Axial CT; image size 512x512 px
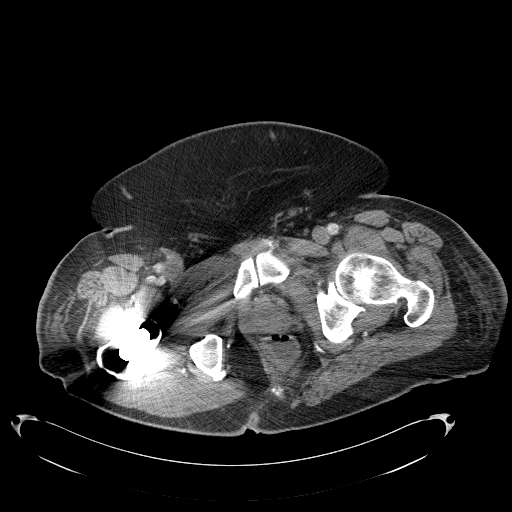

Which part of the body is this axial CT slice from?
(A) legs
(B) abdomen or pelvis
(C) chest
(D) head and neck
(B) abdomen or pelvis
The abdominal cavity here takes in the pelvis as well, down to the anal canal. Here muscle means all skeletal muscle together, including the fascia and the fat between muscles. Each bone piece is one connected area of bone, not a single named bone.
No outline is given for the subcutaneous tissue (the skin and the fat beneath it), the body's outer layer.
The bones appear in 5 outlined pieces: piece 1: (352, 252) (383, 257) (402, 275) (429, 286) (434, 292) (434, 304) (427, 320) (416, 327) (407, 325) (403, 319) (407, 309) (404, 298) (397, 303) (364, 304) (365, 310) (351, 323) (353, 333) (340, 343) (330, 342) (321, 329) (316, 294) (318, 288) (327, 289) (338, 263); piece 2: (144, 317) (152, 318) (161, 324) (162, 333) (159, 342) (153, 354) (153, 356) (143, 371) (142, 374) (139, 377) (135, 379) (119, 379) (112, 374) (107, 372) (103, 368) (99, 367) (96, 361) (96, 351) (97, 348) (100, 345) (104, 344) (109, 338) (115, 334) (133, 325); piece 3: (266, 250) (271, 253) (273, 253) (286, 263) (290, 269) (289, 274) (282, 283) (277, 285) (272, 283) (267, 283) (264, 285) (260, 285) (254, 288) (247, 298) (239, 300) (235, 299) (233, 297) (233, 288) (235, 283) (236, 274) (240, 263) (249, 256) (254, 258) (259, 252); piece 4: (208, 333) (215, 333) (219, 335) (223, 340) (223, 346) (222, 347) (222, 362) (223, 363) (223, 367) (226, 370) (226, 374) (221, 380) (218, 381) (214, 381) (209, 376) (202, 372) (195, 365) (193, 361) (190, 358) (188, 352) (188, 349) (192, 343) (203, 338) (206, 334); piece 5: (274, 386) (280, 386) (281, 387) (282, 387) (283, 388) (283, 396) (281, 398) (280, 398) (279, 397) (278, 397) (276, 395) (275, 395) (271, 391) (271, 388) (272, 387) (273, 387). The torso is outlined by (255, 120) (306, 125) (372, 149) (391, 172) (381, 193) (437, 209) (470, 235) (495, 264) (507, 290) (499, 335) (484, 371) (421, 385) (309, 428) (210, 436) (112, 415) (70, 395) (60, 379) (41, 370) (38, 304) (63, 256) (100, 227) (89, 213) (96, 190) (175, 140). The muscle is outlined by (371, 209) (407, 214) (441, 236) (440, 254) (458, 315) (456, 333) (442, 346) (397, 361) (317, 405) (296, 410) (290, 409) (290, 401) (318, 365) (315, 354) (310, 353) (288, 397) (271, 401) (263, 394) (267, 381) (258, 357) (238, 331) (229, 339) (228, 358) (250, 393) (218, 410) (188, 417) (152, 415) (107, 400) (85, 373) (76, 349) (85, 312) (77, 284) (84, 269) (100, 256) (157, 244) (186, 259) (200, 259) (252, 235) (310, 238); inner edges: (352, 252) (383, 257) (402, 275) (429, 286) (434, 292) (434, 304) (427, 320) (416, 327) (407, 325) (403, 319) (407, 309) (404, 298) (397, 303) (364, 304) (365, 310) (351, 323) (353, 333) (340, 343) (330, 342) (321, 329) (316, 294) (318, 288) (327, 289) (338, 263), then (266, 287) (267, 288) (276, 289) (286, 297) (298, 314) (303, 325) (303, 329) (305, 334) (304, 345) (301, 351) (301, 353) (299, 354) (300, 355) (289, 368) (283, 371) (274, 370) (267, 364) (265, 359) (247, 335) (242, 326) (242, 319) (251, 300) (251, 297) (253, 293), then (144, 317) (152, 318) (161, 324) (162, 333) (159, 342) (153, 354) (153, 356) (143, 371) (142, 374) (139, 377) (135, 379) (119, 379) (112, 374) (107, 372) (103, 368) (99, 367) (96, 361) (96, 351) (97, 348) (100, 345) (104, 344) (109, 338) (115, 334) (133, 325), then (266, 250) (271, 253) (273, 253) (286, 263) (290, 269) (289, 274) (282, 283) (277, 285) (272, 283) (267, 283) (264, 285) (260, 285) (254, 288) (247, 298) (239, 300) (235, 299) (233, 297) (233, 288) (235, 283) (236, 274) (240, 263) (249, 256) (254, 258) (259, 252), then (208, 333) (215, 333) (219, 335) (223, 340) (223, 346) (222, 347) (222, 362) (223, 363) (223, 367) (226, 370) (226, 374) (221, 380) (218, 381) (214, 381) (209, 376) (202, 372) (195, 365) (193, 361) (190, 358) (188, 352) (188, 349) (192, 343) (203, 338) (206, 334), then (274, 386) (280, 386) (281, 387) (282, 387) (283, 388) (283, 396) (281, 398) (280, 398) (279, 397) (278, 397) (276, 395) (275, 395) (271, 391) (271, 388) (272, 387) (273, 387). The abdominal cavity is outlined by (266, 287) (267, 288) (276, 289) (286, 297) (298, 314) (303, 325) (303, 329) (305, 334) (304, 345) (301, 351) (301, 353) (299, 354) (300, 355) (289, 368) (283, 371) (274, 370) (267, 364) (265, 359) (247, 335) (242, 326) (242, 319) (251, 300) (251, 297) (253, 293).